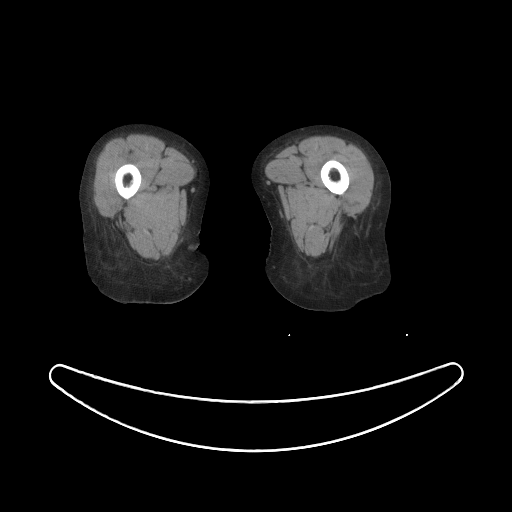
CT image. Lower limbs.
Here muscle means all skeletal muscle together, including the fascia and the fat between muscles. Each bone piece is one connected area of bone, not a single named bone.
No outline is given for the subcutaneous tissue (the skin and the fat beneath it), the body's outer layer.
Outlines (x, y in pixels):
left leg: (313, 124) (342, 126) (364, 137) (381, 156) (391, 181) (391, 203) (385, 228) (391, 282) (384, 292) (363, 300) (346, 311) (315, 311) (300, 307) (276, 291) (264, 271) (265, 258) (269, 249) (270, 225) (251, 182) (252, 164) (262, 148) (276, 137) (290, 130)
muscle 1: (131, 133) (153, 135) (163, 140) (180, 151) (189, 159) (194, 160) (193, 164) (196, 168) (194, 187) (195, 189) (191, 195) (185, 227) (172, 253) (162, 263) (148, 264) (138, 259) (131, 251) (124, 236) (100, 216) (92, 198) (95, 164) (99, 153) (110, 139) (123, 134) with a hole at (126, 163) (132, 163) (134, 164) (138, 168) (141, 174) (141, 183) (140, 184) (140, 186) (138, 190) (131, 197) (127, 199) (125, 199) (118, 193) (115, 187) (115, 184) (114, 183) (114, 174) (116, 170) (121, 165) (123, 164) (125, 164)
muscle 2: (313, 135) (336, 135) (347, 138) (363, 151) (374, 173) (374, 189) (371, 204) (357, 220) (349, 221) (344, 226) (334, 251) (322, 263) (312, 263) (305, 260) (297, 251) (294, 239) (285, 220) (278, 193) (266, 183) (267, 178) (264, 173) (265, 165) (278, 152) (299, 140), around a hole outlined by (330, 159) (334, 159) (335, 160) (337, 160) (339, 161) (344, 165) (344, 166) (347, 170) (347, 172) (349, 176) (349, 184) (346, 190) (342, 194) (335, 194) (331, 192) (323, 184) (321, 180) (321, 178) (320, 177) (320, 169) (321, 168) (321, 166) (327, 160) (329, 160)
bones 1: (330, 159) (334, 159) (335, 160) (337, 160) (339, 161) (344, 165) (344, 166) (347, 170) (347, 172) (349, 176) (349, 184) (346, 190) (342, 194) (335, 194) (331, 192) (323, 184) (321, 180) (321, 178) (320, 177) (320, 169) (321, 168) (321, 166) (327, 160) (329, 160)
bones 2: (126, 163) (132, 163) (134, 164) (138, 168) (141, 174) (141, 183) (140, 184) (140, 186) (138, 190) (131, 197) (127, 199) (125, 199) (118, 193) (115, 187) (115, 184) (114, 183) (114, 174) (116, 170) (121, 165) (123, 164) (125, 164)
right leg: (134, 122) (159, 125) (181, 135) (199, 150) (209, 170) (210, 184) (199, 236) (199, 248) (209, 259) (209, 272) (203, 283) (190, 296) (172, 304) (124, 304) (114, 301) (97, 289) (86, 270) (78, 201) (79, 185) (85, 160) (91, 147) (102, 134) (116, 126)